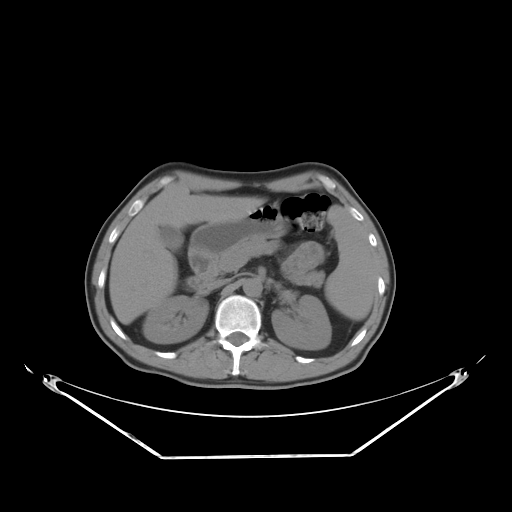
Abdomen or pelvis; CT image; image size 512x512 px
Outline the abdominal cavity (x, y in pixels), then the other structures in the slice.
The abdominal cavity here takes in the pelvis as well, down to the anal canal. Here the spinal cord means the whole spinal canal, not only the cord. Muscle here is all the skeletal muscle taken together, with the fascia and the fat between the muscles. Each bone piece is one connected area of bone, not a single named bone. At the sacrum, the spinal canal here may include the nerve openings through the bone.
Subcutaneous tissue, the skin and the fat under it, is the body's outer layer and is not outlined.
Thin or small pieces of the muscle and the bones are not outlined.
The abdominal cavity is outlined by 172 181; 198 191; 252 187; 298 192; 324 187; 361 222; 371 246; 377 292; 363 325; 335 353; 303 356; 269 337; 261 327; 257 303; 234 293; 218 303; 213 324; 205 333; 173 351; 133 341; 107 307; 108 263; 126 224; 152 194. The bones appear in 9 outlined pieces: piece 1: 234 294; 245 296; 254 301; 258 306; 261 314; 261 326; 258 331; 258 336; 267 345; 260 349; 252 348; 244 351; 240 355; 238 375; 231 374; 233 366; 231 352; 224 349; 220 344; 212 342; 219 336; 214 324; 216 309; 223 299, around a hole outlined by 234 332; 240 332; 241 333; 242 333; 243 334; 244 334; 247 337; 247 340; 246 341; 245 341; 244 342; 243 342; 241 344; 240 344; 239 345; 234 345; 232 343; 231 343; 227 339; 227 337; 230 334; 231 334; 232 333; 233 333; piece 2: 141 198; 145 198; 146 199; 145 200; 145 202; 144 203; 143 206; 141 208; 141 209; 140 209; 137 213; 136 213; 132 216; 130 216; 129 215; 128 215; 128 209; 131 205; 131 204; 135 200; 136 200; 137 199; 140 199; piece 3: 319 174; 321 174; 322 175; 324 175; 325 176; 327 176; 333 182; 334 182; 335 183; 335 188; 334 188; 333 189; 327 189; 324 186; 324 185; 322 183; 322 182; 317 177; 317 176; piece 4: 111 318; 113 318; 113 319; 115 321; 115 322; 118 325; 118 326; 121 329; 121 330; 126 335; 126 336; 127 337; 127 338; 126 339; 123 339; 121 337; 120 337; 115 332; 115 331; 113 329; 113 328; 110 323; 110 320; 111 319; piece 5: 363 328; 364 328; 365 329; 366 329; 366 332; 365 333; 365 334; 364 335; 364 336; 362 338; 362 339; 358 343; 357 343; 355 345; 354 345; 353 346; 351 346; 350 345; 350 343; 351 342; 351 341; 357 335; 357 334; piece 6: 115 227; 118 227; 120 229; 120 230; 121 231; 120 232; 120 233; 119 234; 119 235; 116 238; 116 239; 115 240; 115 241; 113 243; 110 243; 108 241; 108 238; 109 237; 109 235; 110 234; 110 233; 112 231; 112 230; piece 7: 155 351; 161 351; 162 352; 174 352; 175 353; 176 353; 176 356; 174 358; 164 358; 163 357; 161 357; 160 356; 158 356; 156 354; 155 354; piece 8: 350 207; 354 207; 363 216; 363 220; 362 220; 361 221; 360 221; 359 220; 358 220; 357 219; 356 219; 352 215; 352 214; 351 213; 351 212; 350 211; piece 9: 163 176; 170 176; 171 177; 172 177; 172 179; 169 182; 168 182; 167 183; 166 183; 164 185; 162 185; 160 187; 159 187; 159 186; 158 185; 158 183; 159 182; 159 181; 160 180; 160 179. The torso is outlined by 170 160; 186 160; 231 170; 264 170; 312 160; 327 163; 346 177; 382 226; 396 271; 395 296; 387 323; 356 369; 326 381; 291 388; 207 388; 134 369; 100 339; 91 324; 84 293; 84 271; 90 248; 107 216; 133 186; 152 168. The spinal cord is outlined by 234 332; 240 332; 241 333; 242 333; 243 334; 244 334; 247 337; 247 340; 246 341; 245 341; 244 342; 243 342; 241 344; 240 344; 239 345; 234 345; 232 343; 231 343; 227 339; 227 337; 230 334; 231 334; 232 333; 233 333. The muscle is outlined by 174 169; 245 182; 269 181; 319 170; 336 179; 349 192; 378 232; 390 279; 378 326; 352 361; 328 373; 291 381; 268 382; 239 375; 241 355; 268 345; 259 336; 261 328; 269 338; 291 350; 301 364; 331 356; 350 341; 349 345; 355 346; 367 329; 363 327; 352 338; 372 313; 377 293; 382 296; 385 292; 386 285; 377 274; 372 251; 378 244; 375 235; 367 233; 362 225; 364 216; 354 206; 346 205; 328 190; 335 189; 336 183; 321 173; 316 177; 323 186; 298 191; 252 186; 198 190; 163 175; 157 183; 159 188; 147 199; 137 198; 130 204; 127 215; 131 217; 124 227; 121 230; 115 226; 108 235; 107 241; 113 245; 107 268; 98 274; 97 286; 104 287; 106 307; 112 317; 109 323; 114 332; 123 340; 128 337; 136 344; 155 350; 158 357; 174 359; 177 356; 174 351; 214 325; 218 336; 211 342; 230 352; 231 375; 220 379; 196 378; 151 366; 129 355; 105 333; 96 312; 92 284; 93 267; 104 235; 143 186.